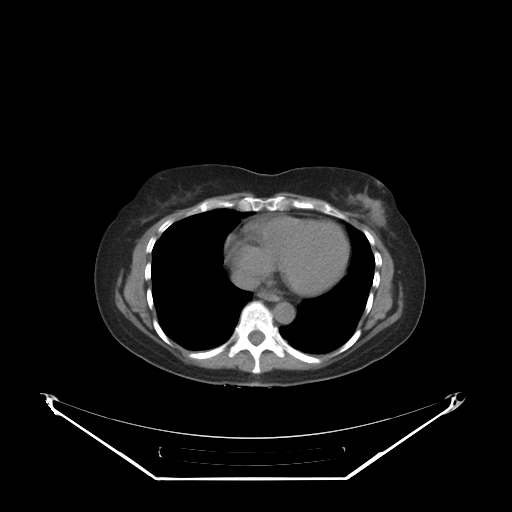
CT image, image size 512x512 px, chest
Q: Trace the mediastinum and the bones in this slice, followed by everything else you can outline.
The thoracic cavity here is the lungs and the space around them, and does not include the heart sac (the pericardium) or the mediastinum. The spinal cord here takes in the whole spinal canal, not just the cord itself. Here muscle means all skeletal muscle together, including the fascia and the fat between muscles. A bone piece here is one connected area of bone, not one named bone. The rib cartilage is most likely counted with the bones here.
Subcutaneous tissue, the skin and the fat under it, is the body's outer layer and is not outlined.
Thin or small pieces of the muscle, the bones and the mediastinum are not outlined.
A: {"mediastinum":[[[224,253],[224,263],[230,270],[240,272],[255,279],[269,291],[304,299],[297,307],[297,314],[291,323],[287,325],[281,325],[279,327],[275,325],[272,312],[262,301],[255,299],[251,300],[253,294],[250,291],[241,289],[230,281],[228,274],[223,267]],[[290,208],[315,210],[318,212],[321,212],[326,215],[338,218],[347,222],[345,224],[346,230],[344,226],[341,223],[323,214],[313,214],[312,213],[306,213],[305,212],[284,212],[283,211],[278,212],[257,213],[248,218],[244,219],[238,225],[234,227],[239,222],[241,217],[243,217],[249,213],[247,212],[259,212],[262,210],[266,210],[270,212],[274,212],[275,211],[278,210],[279,211],[285,211],[286,210],[288,210]]],"bones":[{"outer":[[254,300],[262,302],[271,312],[273,324],[293,348],[321,361],[308,363],[287,352],[280,357],[266,349],[259,357],[260,372],[253,373],[255,362],[246,349],[232,357],[228,348],[208,358],[189,357],[192,351],[206,351],[223,344],[233,333],[243,307]],"hole":[[255,330],[258,330],[259,331],[260,331],[263,334],[263,335],[264,336],[264,338],[263,339],[263,340],[260,343],[259,343],[256,345],[255,344],[253,344],[249,340],[249,339],[248,338],[248,336],[249,335],[249,334],[252,331],[254,331]]},[[280,195],[289,199],[319,200],[326,202],[345,215],[347,217],[346,221],[315,209],[294,207],[274,211],[266,209],[259,211],[241,211],[237,209],[236,206],[232,208],[221,207],[185,216],[187,211],[207,199],[236,202],[244,197],[259,197],[265,199]],[[357,328],[359,328],[361,330],[361,334],[360,336],[357,339],[357,340],[351,346],[350,346],[344,351],[338,354],[336,354],[335,355],[332,355],[333,353],[338,348],[339,348],[351,337],[351,336],[354,333],[354,332],[357,329]],[[153,319],[156,319],[157,320],[157,321],[158,322],[160,327],[162,329],[162,330],[164,332],[164,333],[171,341],[171,342],[172,343],[172,345],[170,345],[169,344],[166,343],[158,335],[158,334],[156,332],[156,331],[154,328],[154,326],[153,325]],[[371,291],[373,293],[373,300],[372,301],[372,304],[371,305],[371,308],[370,309],[370,310],[368,312],[368,313],[366,315],[365,315],[364,314],[364,310],[365,309],[365,306],[366,305],[366,302],[367,301],[367,299],[368,298],[369,293]],[[169,218],[173,218],[175,220],[174,221],[174,222],[173,223],[172,223],[166,229],[165,229],[160,234],[158,232],[158,228],[166,220],[167,220]],[[152,236],[154,236],[156,238],[156,240],[155,241],[155,242],[154,243],[154,244],[153,245],[153,247],[152,248],[152,250],[151,251],[151,253],[148,253],[147,252],[146,252],[146,246],[147,245],[147,244],[148,243],[148,241],[149,240],[149,239]],[[148,288],[151,288],[151,295],[152,296],[152,299],[153,300],[153,307],[152,308],[152,309],[151,309],[150,308],[149,308],[149,306],[148,305],[148,303],[147,302],[147,295],[146,294],[146,292],[147,291],[147,289]],[[363,228],[365,228],[372,235],[372,236],[373,237],[373,238],[374,239],[374,245],[371,245],[370,244],[370,243],[369,242],[369,241],[368,240],[368,239],[366,237],[366,236],[364,234],[364,233],[362,231],[362,229]]],"spinal_cord":[[[255,330],[258,330],[259,331],[260,331],[263,334],[263,335],[264,336],[264,338],[263,339],[263,340],[260,343],[259,343],[256,345],[255,344],[253,344],[249,340],[249,339],[248,338],[248,336],[249,335],[249,334],[252,331],[254,331]]],"thoracic_cavity":[[[221,208],[248,213],[239,218],[238,222],[226,236],[223,244],[222,267],[232,284],[241,290],[250,292],[252,296],[240,310],[238,321],[232,333],[223,343],[206,350],[189,350],[170,339],[158,321],[152,295],[152,251],[161,234],[176,221],[195,214]],[[347,223],[360,230],[370,245],[374,259],[371,286],[357,327],[350,337],[332,351],[314,355],[309,354],[293,347],[281,335],[279,328],[287,326],[294,321],[298,314],[298,307],[305,299],[313,298],[327,292],[348,272],[352,255],[352,245],[346,227]]],"muscle":[[[196,204],[184,213],[184,217],[178,220],[173,217],[166,219],[157,228],[157,232],[160,235],[159,237],[157,239],[152,235],[145,246],[145,252],[151,254],[151,260],[148,261],[144,267],[144,279],[146,281],[151,281],[151,287],[148,287],[145,292],[146,302],[149,309],[155,309],[157,318],[152,319],[152,325],[157,335],[166,344],[172,346],[172,341],[182,348],[191,351],[187,354],[191,359],[208,359],[218,355],[226,349],[228,349],[227,355],[232,358],[240,351],[246,350],[251,355],[254,362],[251,372],[236,368],[205,368],[183,362],[138,329],[122,314],[115,303],[114,295],[117,279],[122,269],[125,272],[130,269],[132,253],[137,240],[151,226],[166,215]],[[338,209],[369,227],[379,237],[389,252],[394,265],[393,282],[395,285],[400,283],[402,287],[402,314],[396,321],[384,328],[354,351],[329,365],[318,369],[273,369],[260,373],[260,357],[266,350],[273,352],[280,358],[283,358],[285,353],[287,353],[302,362],[308,364],[319,364],[322,360],[315,355],[327,354],[333,351],[332,356],[338,355],[351,347],[362,334],[362,330],[358,327],[358,324],[362,314],[363,313],[366,316],[372,308],[374,293],[371,290],[370,291],[370,289],[371,287],[375,289],[380,284],[380,273],[375,269],[375,267],[379,268],[382,265],[382,256],[377,250],[372,250],[371,246],[375,245],[373,235],[365,227],[361,230],[348,222],[348,217]],[[244,191],[245,192],[251,192],[253,193],[255,196],[244,196],[243,197],[241,197],[236,201],[234,200],[229,200],[228,199],[219,199],[218,198],[208,198],[214,197],[215,196],[219,196],[220,195],[225,195],[226,194],[235,193],[236,192],[243,192]]],"torso":[[[201,163],[230,164],[267,174],[301,166],[338,166],[367,172],[382,181],[409,223],[424,262],[425,299],[411,335],[388,355],[360,370],[285,387],[237,387],[190,380],[148,363],[121,345],[104,324],[95,298],[94,264],[102,235],[116,212],[152,173]]],"pericardium":[[[279,212],[323,215],[341,224],[347,232],[351,245],[351,255],[347,266],[347,271],[345,275],[327,291],[319,295],[307,298],[299,298],[278,293],[265,288],[255,278],[240,271],[230,269],[226,265],[224,246],[228,236],[233,229],[244,220],[257,214]]]}